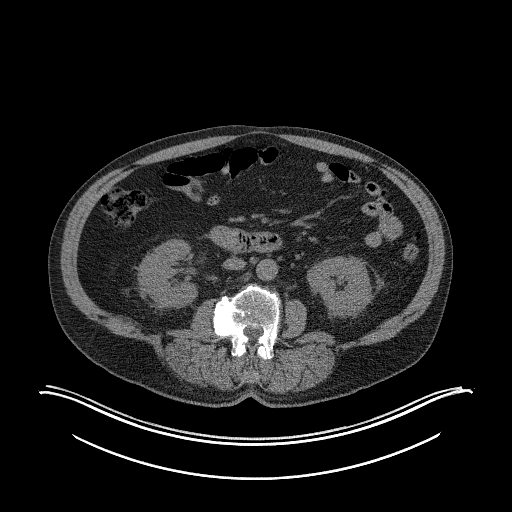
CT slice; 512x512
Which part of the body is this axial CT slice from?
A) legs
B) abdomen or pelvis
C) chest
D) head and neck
Answer: B) abdomen or pelvis
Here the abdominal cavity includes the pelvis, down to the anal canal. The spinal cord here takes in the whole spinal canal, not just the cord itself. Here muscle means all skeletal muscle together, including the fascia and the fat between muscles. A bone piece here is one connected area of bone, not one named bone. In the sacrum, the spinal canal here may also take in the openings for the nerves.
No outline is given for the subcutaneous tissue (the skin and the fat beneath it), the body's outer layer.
Outlines (x, y in pixels):
bones: 249,284 256,284 272,292 276,292 281,300 278,339 273,346 273,357 270,359 264,359 249,351 240,356 234,356 231,354 232,345 230,339 228,337 219,339 214,332 212,317 216,302 222,296 231,296; inner edge: 247,327 251,327 252,328 261,328 262,329 262,334 261,335 260,335 257,338 257,339 255,342 252,342 251,343 250,342 249,342 249,337 248,336 247,336 244,333 244,330 245,329 245,328 246,328
muscle: 251,131 313,137 356,150 400,171 428,197 438,215 443,231 445,244 443,269 438,288 426,310 387,340 342,351 327,378 301,391 273,393 263,390 255,383 245,383 234,390 220,390 211,385 203,387 180,379 162,364 150,344 143,340 114,334 89,319 71,301 62,278 60,255 67,219 78,199 95,181 115,169 168,147 207,137 237,135; inner edge: 258,134 371,164 405,194 428,245 425,273 407,305 338,341 323,330 304,332 306,306 286,297 270,359 231,354 230,339 214,332 218,297 196,308 188,328 164,333 100,307 80,281 78,249 104,190 139,166
abdominal cavity: 258,134 371,164 405,194 428,245 425,273 407,305 347,341 323,330 304,332 306,306 288,297 283,304 276,291 256,283 204,300 188,328 164,333 145,331 130,317 100,307 80,281 78,249 104,190 139,166
torso: 229,124 299,126 357,140 398,161 432,193 450,230 453,269 435,338 413,366 353,394 311,405 272,408 247,397 214,408 173,400 116,377 66,337 50,299 47,257 53,227 69,198 97,170 135,147 177,133
spinal cord: 247,327 251,327 252,328 261,328 262,329 262,334 261,335 260,335 257,338 257,339 255,342 252,342 251,343 250,342 249,342 249,337 248,336 247,336 244,333 244,330 245,329 245,328 246,328